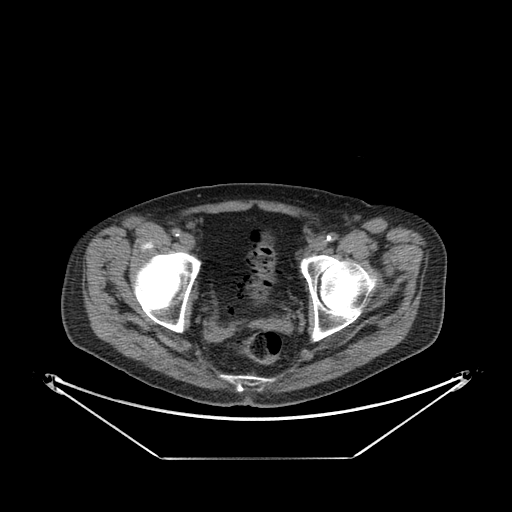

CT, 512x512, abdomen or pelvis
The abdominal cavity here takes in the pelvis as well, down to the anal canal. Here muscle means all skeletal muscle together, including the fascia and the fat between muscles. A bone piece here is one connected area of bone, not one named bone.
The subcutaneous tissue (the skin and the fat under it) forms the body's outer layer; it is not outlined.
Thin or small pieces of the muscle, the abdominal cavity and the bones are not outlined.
{"muscle":[{"outer":[[264,196],[380,216],[423,237],[427,258],[421,298],[401,342],[333,379],[261,393],[309,339],[316,343],[354,322],[378,279],[353,260],[325,253],[302,257],[304,220],[257,205],[194,213],[197,256],[182,250],[156,253],[136,270],[132,283],[143,312],[182,334],[195,281],[189,339],[227,373],[218,373],[220,379],[233,385],[235,387],[235,389],[238,393],[241,393],[243,392],[245,390],[245,386],[257,393],[236,393],[223,389],[212,390],[175,379],[123,355],[93,332],[82,294],[83,257],[99,231],[131,214]],"hole":[[148,241],[151,241],[151,242],[152,243],[152,244],[153,245],[153,247],[152,247],[151,248],[146,248],[144,250],[142,250],[141,249],[141,245],[143,243],[144,243],[145,242],[147,242]]}],"abdominal_cavity":[[[253,206],[303,220],[302,230],[306,242],[300,253],[299,271],[308,290],[309,338],[307,345],[293,358],[289,367],[269,376],[235,374],[219,369],[190,339],[189,334],[197,287],[195,280],[202,265],[194,248],[198,224],[193,215],[244,211]]],"torso":[[[242,181],[317,187],[369,203],[388,203],[413,211],[429,221],[441,236],[448,258],[444,317],[436,340],[421,352],[353,386],[277,408],[219,407],[197,403],[148,386],[75,347],[62,325],[60,293],[68,255],[84,230],[122,209],[162,194],[199,185]]],"bones":[[[319,254],[330,255],[339,260],[353,261],[359,264],[371,276],[375,276],[377,279],[375,286],[367,297],[361,313],[354,321],[340,330],[316,342],[312,342],[310,336],[314,326],[313,301],[309,293],[309,287],[306,279],[300,271],[300,261],[302,258]],[[171,251],[186,252],[197,257],[201,261],[200,269],[193,282],[186,303],[185,313],[184,314],[184,331],[182,333],[175,332],[162,325],[156,323],[152,320],[142,309],[136,298],[133,288],[135,274],[137,270],[145,262],[152,256],[156,254],[165,254]],[[220,373],[234,374],[235,375],[242,374],[243,375],[255,375],[263,377],[274,377],[276,380],[273,382],[264,383],[263,388],[260,392],[257,391],[256,386],[247,386],[246,385],[244,386],[243,391],[238,392],[236,387],[233,384],[218,376],[218,374]]]}